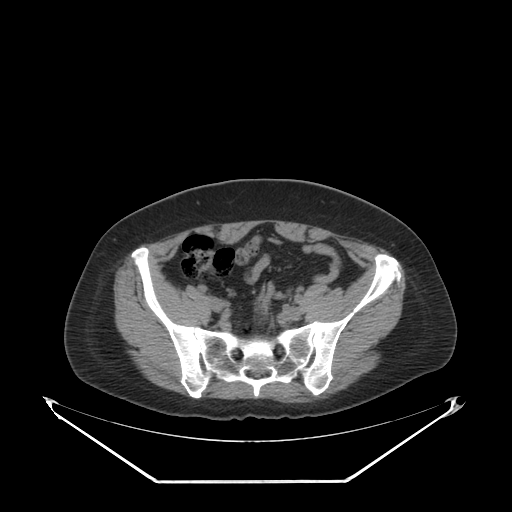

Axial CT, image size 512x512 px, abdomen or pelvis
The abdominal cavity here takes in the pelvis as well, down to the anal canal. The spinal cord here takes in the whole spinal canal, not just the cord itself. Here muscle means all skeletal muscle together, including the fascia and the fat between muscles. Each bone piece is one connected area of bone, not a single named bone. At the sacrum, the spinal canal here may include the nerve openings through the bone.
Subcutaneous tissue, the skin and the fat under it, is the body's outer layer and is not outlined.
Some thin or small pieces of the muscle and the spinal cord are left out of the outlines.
Outlines:
spinal cord: (236, 348) (239, 348) (241, 350) (241, 352) (242, 353) (242, 355) (238, 359) (235, 359) (232, 356) (232, 352)
muscle 1: (259, 219) (315, 225) (382, 247) (393, 255) (384, 252) (374, 255) (371, 281) (346, 315) (336, 320) (308, 322) (300, 298) (310, 286) (317, 284) (345, 290) (365, 271) (336, 239) (291, 241) (269, 222) (254, 226) (231, 243) (222, 242) (208, 233) (191, 231) (180, 241) (175, 253) (163, 262) (161, 271) (181, 290) (193, 286) (203, 291) (211, 302) (211, 310) (209, 318) (200, 325) (177, 323) (158, 300) (150, 271) (149, 249) (138, 246) (191, 227)
muscle 2: (399, 261) (406, 275) (401, 316) (377, 345) (381, 361) (347, 388) (310, 402) (196, 399) (213, 375) (228, 383) (239, 381) (251, 386) (255, 398) (264, 385) (288, 384) (299, 375) (313, 396) (324, 392) (334, 378) (332, 364) (342, 331) (363, 307) (394, 282) (401, 282)
muscle 3: (131, 250) (132, 250) (130, 253) (130, 257) (140, 276) (144, 300) (150, 310) (164, 326) (169, 335) (179, 362) (180, 367) (179, 382) (188, 395) (192, 398) (152, 383) (140, 373) (125, 351) (125, 342) (117, 331) (114, 323) (113, 282) (117, 268) (122, 264) (125, 256)
torso: (238, 178) (292, 178) (325, 184) (363, 198) (407, 224) (428, 248) (454, 309) (457, 339) (449, 361) (360, 405) (296, 419) (249, 416) (242, 420) (214, 420) (168, 415) (114, 397) (81, 381) (65, 354) (64, 321) (75, 286) (99, 238) (116, 221) (156, 200) (194, 186)
bones: (141, 246) (149, 251) (157, 300) (172, 321) (244, 338) (343, 318) (367, 291) (378, 253) (393, 256) (402, 277) (348, 321) (333, 353) (333, 378) (318, 395) (300, 374) (264, 384) (257, 397) (251, 385) (213, 374) (193, 398) (180, 382) (170, 335) (145, 300) (131, 257) with holes at (247, 371) (250, 371) (251, 372) (261, 372) (262, 371) (268, 371) (269, 372) (269, 374) (267, 376) (264, 376) (263, 377) (261, 377) (260, 378) (254, 378) (253, 377) (251, 377) (250, 376) (249, 376) (247, 374) and at (236, 348) (239, 348) (241, 350) (241, 352) (242, 353) (242, 355) (238, 359) (235, 359) (232, 356) (232, 352) and at (277, 345) (279, 345) (281, 347) (281, 349) (282, 350) (282, 353) (281, 354) (281, 355) (280, 356) (278, 356) (276, 354) (276, 353) (275, 352) (275, 349) (276, 348) (276, 346)
abdominal cavity: (266, 223) (273, 224) (274, 230) (291, 242) (333, 238) (364, 271) (345, 289) (310, 285) (299, 298) (307, 323) (283, 329) (272, 337) (244, 337) (200, 326) (210, 318) (212, 302) (197, 286) (187, 285) (184, 289) (175, 286) (162, 271) (164, 262) (191, 232) (231, 244)